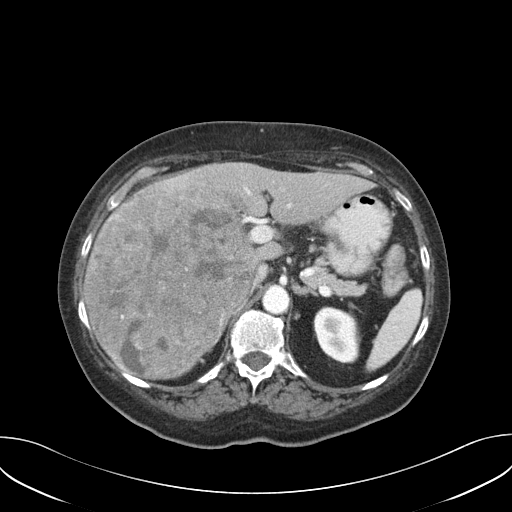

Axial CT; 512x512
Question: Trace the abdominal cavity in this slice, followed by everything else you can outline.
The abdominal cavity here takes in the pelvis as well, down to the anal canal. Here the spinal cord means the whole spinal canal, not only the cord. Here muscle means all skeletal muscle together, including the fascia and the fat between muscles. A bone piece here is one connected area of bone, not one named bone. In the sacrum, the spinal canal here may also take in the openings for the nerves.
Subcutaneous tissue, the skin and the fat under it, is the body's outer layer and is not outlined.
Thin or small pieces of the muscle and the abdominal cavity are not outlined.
Answer: abdominal cavity: [[223,160],[362,177],[400,204],[418,244],[424,305],[411,342],[387,372],[347,387],[321,383],[285,348],[283,320],[258,308],[244,310],[235,320],[231,350],[223,359],[186,384],[150,383],[102,350],[83,293],[87,257],[102,222],[140,182],[194,162]]
bones 1: [[250,309],[261,310],[282,320],[284,348],[291,353],[308,378],[297,376],[277,366],[270,377],[258,384],[253,395],[250,381],[239,375],[231,360],[214,378],[204,383],[196,382],[200,376],[223,360],[228,351],[232,350],[230,346],[232,327],[239,316]] with a hole at [[250,352],[261,352],[262,353],[263,353],[264,354],[267,355],[269,358],[269,360],[268,361],[268,362],[265,365],[264,365],[261,368],[260,368],[257,370],[254,370],[253,369],[252,369],[246,363],[245,363],[243,361],[243,357],[246,354],[247,354]]
bones 2: [[144,166],[154,166],[155,167],[162,167],[163,166],[165,166],[167,167],[167,168],[164,170],[158,171],[140,180],[127,192],[124,197],[119,202],[119,203],[113,208],[113,209],[108,210],[106,207],[106,204],[110,196],[111,196],[135,172]]
bones 3: [[116,364],[121,366],[122,368],[123,368],[128,373],[131,374],[133,376],[135,376],[149,383],[151,385],[151,386],[149,388],[144,388],[143,387],[140,387],[139,386],[137,386],[131,383],[129,381],[128,381],[121,374],[121,370],[117,366]]
bones 4: [[425,314],[428,316],[428,327],[427,328],[427,329],[426,330],[424,335],[422,337],[422,338],[415,345],[412,346],[411,345],[412,340],[413,339],[413,338],[418,329],[418,327],[420,324],[420,322],[422,319],[422,317],[423,316],[423,315],[424,315]]
bones 5: [[394,188],[397,188],[403,194],[404,194],[408,198],[408,199],[409,200],[409,201],[411,203],[411,205],[412,206],[412,210],[411,211],[406,211],[404,209],[404,208],[401,205],[401,204],[394,197],[394,193],[393,192],[393,189]]
bones 6: [[81,298],[83,298],[83,302],[84,303],[84,305],[85,306],[85,310],[87,314],[87,319],[88,320],[89,325],[91,327],[91,330],[90,331],[87,329],[87,328],[80,320],[78,316],[78,313],[77,312],[77,307],[78,306],[78,302]]
bones 7: [[346,162],[357,162],[358,163],[361,163],[362,164],[364,164],[365,165],[366,165],[368,167],[371,168],[374,171],[374,173],[372,175],[364,175],[363,174],[360,173],[357,170],[354,169],[352,167],[350,167],[349,166],[346,165],[345,164],[345,163]]
bones 8: [[385,373],[387,373],[388,374],[388,376],[387,377],[387,378],[382,383],[381,383],[379,385],[378,385],[373,388],[370,388],[369,389],[367,389],[366,390],[360,390],[359,389],[359,388],[365,383],[366,383],[371,380],[373,380],[374,379],[381,376]]
bones 9: [[420,244],[424,244],[425,245],[425,246],[427,249],[427,251],[428,252],[428,254],[429,255],[429,269],[426,271],[425,271],[423,268],[423,266],[422,265],[422,262],[421,261],[421,258],[420,257],[420,251],[419,250],[419,245]]
bones 10: [[90,232],[92,232],[93,233],[93,239],[91,242],[91,245],[89,248],[89,251],[87,254],[87,256],[85,258],[83,258],[81,256],[81,248],[82,247],[82,245],[83,244],[83,242],[84,241],[84,240],[85,239],[85,238],[86,237],[86,236]]
torso: [[211,120],[315,123],[359,134],[394,154],[425,192],[447,254],[449,317],[423,385],[395,414],[305,446],[283,447],[259,441],[197,448],[163,439],[132,423],[104,401],[87,380],[69,343],[57,301],[59,257],[71,219],[95,180],[125,151],[170,128]]
muscle 1: [[216,149],[231,149],[257,154],[272,151],[288,151],[301,149],[310,149],[329,152],[338,151],[351,153],[363,157],[377,164],[385,170],[390,176],[396,179],[405,187],[419,213],[421,221],[424,226],[425,232],[430,243],[432,254],[434,257],[435,263],[435,270],[434,271],[435,276],[434,313],[431,324],[425,336],[424,346],[421,349],[416,363],[403,377],[400,378],[395,384],[393,384],[387,390],[376,395],[367,403],[349,408],[346,411],[332,417],[313,421],[301,421],[286,418],[282,415],[278,415],[268,411],[263,407],[258,405],[247,405],[232,412],[222,413],[212,419],[208,419],[205,421],[189,421],[184,419],[179,419],[163,411],[160,411],[147,404],[145,404],[127,392],[118,382],[110,378],[102,372],[98,367],[92,354],[85,344],[82,336],[82,332],[79,325],[76,310],[73,305],[73,289],[72,288],[73,282],[72,280],[75,269],[77,248],[80,242],[80,238],[86,230],[96,208],[105,195],[118,180],[127,171],[142,161],[174,153],[184,154],[185,153],[193,153],[197,151],[209,151]]; inner edges: [[223,160],[362,177],[408,198],[412,210],[405,213],[429,255],[428,327],[382,383],[366,390],[331,386],[277,366],[253,395],[231,360],[204,383],[144,388],[121,374],[80,320],[87,260],[81,248],[110,212],[110,196],[144,166],[167,167],[146,180]], then [[346,162],[357,162],[358,163],[361,163],[362,164],[364,164],[365,165],[366,165],[368,167],[371,168],[374,171],[374,173],[372,175],[364,175],[363,174],[360,173],[357,170],[354,169],[352,167],[350,167],[349,166],[346,165],[345,164],[345,163]]
muscle 2: [[136,184],[137,184],[136,185],[136,186],[133,189],[133,190],[122,201],[121,201],[125,197],[125,196],[128,193],[128,192],[129,192],[130,191],[130,190],[131,190],[132,189],[132,188]]
spinal cord: [[250,352],[261,352],[262,353],[263,353],[264,354],[267,355],[269,358],[269,360],[268,361],[268,362],[265,365],[264,365],[261,368],[260,368],[257,370],[254,370],[253,369],[252,369],[246,363],[245,363],[243,361],[243,357],[246,354],[247,354]]